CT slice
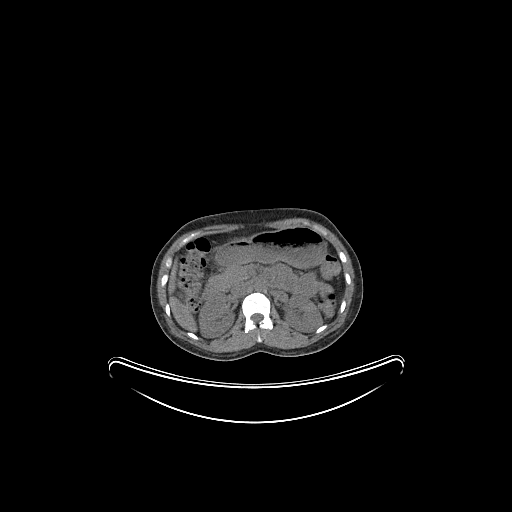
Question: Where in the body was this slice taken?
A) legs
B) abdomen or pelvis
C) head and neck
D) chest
Answer: B) abdomen or pelvis
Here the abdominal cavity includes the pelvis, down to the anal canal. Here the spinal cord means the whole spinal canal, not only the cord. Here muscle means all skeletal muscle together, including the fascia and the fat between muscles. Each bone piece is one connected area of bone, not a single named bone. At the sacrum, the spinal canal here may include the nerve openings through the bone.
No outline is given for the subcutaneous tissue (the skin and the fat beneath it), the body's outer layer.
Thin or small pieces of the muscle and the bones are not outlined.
The torso is outlined by (273, 207) (306, 208) (322, 213) (333, 222) (349, 242) (358, 257) (363, 278) (363, 299) (353, 323) (341, 337) (326, 348) (295, 357) (257, 352) (240, 359) (217, 361) (194, 355) (178, 347) (163, 333) (150, 302) (152, 265) (162, 246) (178, 228) (192, 219) (232, 210). The spinal cord is outlined by (254, 314) (260, 314) (261, 315) (262, 315) (262, 318) (258, 322) (255, 322) (252, 319) (252, 318) (251, 317) (252, 316) (252, 315) (253, 315). The muscle is outlined by (287, 218) (306, 218) (322, 225) (331, 231) (338, 238) (338, 239) (342, 243) (346, 249) (350, 257) (350, 259) (352, 263) (352, 267) (354, 271) (354, 291) (353, 292) (352, 300) (350, 304) (349, 311) (347, 314) (347, 316) (343, 324) (341, 326) (335, 330) (332, 331) (330, 333) (327, 334) (317, 341) (307, 346) (304, 346) (303, 347) (284, 349) (283, 348) (278, 348) (277, 347) (268, 346) (262, 343) (257, 343) (249, 348) (245, 348) (244, 349) (241, 349) (238, 351) (232, 351) (231, 352) (212, 352) (211, 351) (207, 351) (201, 348) (199, 348) (175, 336) (172, 333) (171, 333) (167, 325) (167, 323) (164, 317) (162, 315) (163, 310) (160, 306) (159, 302) (158, 301) (156, 283) (157, 282) (157, 277) (158, 276) (158, 272) (159, 271) (159, 268) (160, 267) (161, 261) (167, 250) (178, 237) (186, 232) (192, 231) (193, 230) (195, 230) (196, 229) (198, 229) (205, 226) (208, 226) (209, 225) (215, 225) (216, 224) (239, 224) (240, 223) (242, 223) (243, 224) (248, 224) (249, 223) (258, 223) (259, 222) (270, 222) (271, 221) (281, 220) (282, 219) (286, 219), around a hole outlined by (291, 225) (312, 228) (316, 225) (325, 232) (323, 236) (335, 250) (343, 252) (346, 258) (342, 270) (348, 273) (351, 282) (344, 283) (345, 307) (340, 313) (337, 310) (322, 331) (313, 331) (307, 336) (296, 331) (280, 318) (271, 300) (271, 329) (256, 328) (245, 332) (245, 317) (240, 306) (233, 325) (217, 339) (194, 339) (167, 315) (167, 285) (161, 285) (161, 278) (170, 272) (165, 265) (167, 258) (174, 257) (185, 237) (191, 233) (197, 236). The abdominal cavity is outlined by (291, 225) (311, 227) (329, 241) (337, 252) (345, 282) (343, 297) (332, 320) (306, 336) (280, 318) (275, 305) (265, 294) (253, 291) (241, 300) (233, 325) (217, 339) (205, 339) (178, 327) (167, 300) (167, 284) (173, 258) (187, 242) (198, 235). The bones appear in 8 outlined pieces: piece 1: (253, 292) (259, 292) (262, 293) (270, 300) (270, 312) (269, 315) (273, 322) (273, 327) (271, 329) (268, 328) (262, 328) (261, 329) (256, 328) (255, 329) (251, 329) (247, 332) (245, 332) (244, 330) (245, 317) (241, 309) (241, 303) (242, 300) (247, 295); inner edge: (254, 314) (260, 314) (261, 315) (262, 315) (262, 318) (258, 322) (255, 322) (252, 319) (252, 318) (251, 317) (252, 316) (252, 315) (253, 315); piece 2: (191, 233) (194, 233) (194, 236) (193, 236) (188, 241) (187, 241) (183, 245) (182, 245) (181, 246) (180, 245) (180, 243) (181, 242) (181, 241) (185, 237) (187, 237) (189, 235) (190, 235) (191, 234); piece 3: (164, 274) (167, 274) (168, 275) (168, 279) (167, 280) (167, 282) (166, 283) (166, 284) (163, 287) (161, 285) (161, 278) (162, 277) (162, 276); piece 4: (339, 251) (341, 251) (342, 252) (343, 252) (343, 253) (345, 255) (345, 257) (346, 258) (346, 261) (344, 263) (342, 263) (342, 262) (340, 260) (340, 258) (339, 257) (339, 256) (338, 255) (338, 252); piece 5: (345, 272) (346, 272) (347, 273) (348, 273) (348, 274) (349, 275) (349, 276) (350, 277) (350, 279) (351, 280) (351, 282) (350, 283) (350, 284) (347, 284) (346, 283) (346, 281) (345, 280) (345, 279) (344, 278) (344, 273); piece 6: (168, 257) (171, 257) (171, 258) (172, 259) (172, 262) (171, 263) (171, 266) (169, 268) (168, 268) (167, 267) (166, 267) (166, 266) (165, 265) (165, 262) (166, 261) (166, 260) (167, 259) (167, 258); piece 7: (314, 225) (316, 225) (320, 229) (321, 229) (323, 231) (324, 231) (325, 232) (325, 234) (324, 235) (323, 235) (321, 233) (320, 233) (317, 230) (316, 230) (315, 229) (314, 229) (313, 228) (313, 226); piece 8: (324, 324) (326, 324) (327, 325) (327, 326) (326, 327) (326, 328) (325, 328) (322, 331) (321, 331) (319, 333) (316, 333) (315, 332) (315, 331) (316, 330) (317, 330) (320, 327) (321, 327).